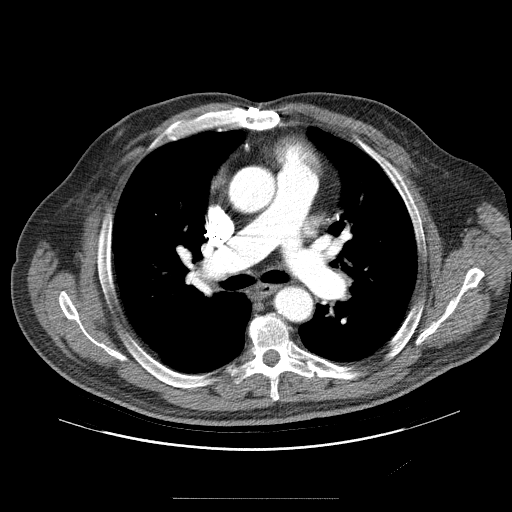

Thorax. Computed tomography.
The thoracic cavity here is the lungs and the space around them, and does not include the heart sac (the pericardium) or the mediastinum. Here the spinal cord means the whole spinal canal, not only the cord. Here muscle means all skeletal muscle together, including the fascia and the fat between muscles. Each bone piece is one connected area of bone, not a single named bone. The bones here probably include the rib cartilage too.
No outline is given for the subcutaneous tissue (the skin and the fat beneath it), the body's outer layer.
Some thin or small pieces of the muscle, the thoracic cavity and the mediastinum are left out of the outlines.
{"thoracic_cavity":[[[233,129],[243,131],[245,139],[218,166],[210,180],[201,264],[220,290],[243,293],[250,302],[246,326],[250,342],[240,355],[222,367],[203,373],[184,373],[153,357],[143,347],[124,313],[113,274],[114,215],[128,179],[147,154],[202,131]],[[312,126],[352,142],[380,166],[403,201],[416,244],[415,287],[403,321],[384,346],[366,358],[346,364],[304,349],[292,338],[297,338],[299,327],[313,318],[316,305],[322,299],[334,257],[332,218],[342,212],[338,169],[308,137],[308,128]]],"spinal_cord":[[[268,350],[274,350],[275,351],[276,351],[277,352],[277,353],[278,354],[278,355],[279,356],[279,358],[278,359],[278,360],[277,361],[277,362],[276,363],[275,363],[273,365],[268,365],[267,364],[266,364],[263,361],[263,356],[264,355],[264,354]]],"torso":[[[202,91],[253,101],[306,91],[371,98],[413,120],[449,153],[487,171],[502,188],[511,230],[511,277],[496,341],[473,359],[385,403],[269,425],[197,425],[151,417],[86,391],[50,367],[23,335],[11,303],[10,272],[26,221],[109,126],[140,107]]],"bones":[{"outer":[[269,312],[275,313],[291,328],[290,336],[300,348],[340,365],[353,365],[365,374],[356,379],[315,374],[309,378],[284,371],[278,377],[279,398],[276,401],[270,397],[269,378],[261,373],[235,383],[223,368],[250,344],[247,335],[249,321],[255,314]],"hole":[[268,350],[274,350],[275,351],[276,351],[277,352],[277,353],[278,354],[278,355],[279,356],[279,358],[278,359],[278,360],[277,361],[277,362],[276,363],[275,363],[273,365],[268,365],[267,364],[266,364],[263,361],[263,356],[264,355],[264,354]]},[[235,106],[243,108],[252,106],[260,110],[272,109],[279,114],[280,121],[287,124],[266,130],[252,130],[245,127],[228,128],[226,126],[213,126],[211,129],[202,130],[167,142],[145,154],[150,143],[173,122],[180,119],[192,118],[208,111],[224,110]],[[120,332],[123,334],[124,333],[128,333],[137,343],[153,358],[174,371],[184,374],[203,374],[220,368],[220,370],[216,375],[218,377],[218,380],[208,385],[192,387],[191,388],[175,387],[172,385],[167,384],[159,380],[148,372],[129,353],[119,335]],[[353,134],[357,135],[364,142],[387,159],[396,168],[401,175],[413,198],[421,219],[422,228],[425,238],[425,247],[426,248],[426,256],[424,260],[423,256],[418,253],[413,224],[403,199],[381,166],[353,141],[352,139],[352,135]],[[108,209],[111,209],[111,212],[113,215],[112,230],[111,231],[111,262],[112,263],[112,274],[117,298],[117,301],[116,301],[115,297],[112,294],[110,295],[111,308],[109,307],[105,299],[99,280],[97,268],[97,248],[99,233],[102,224],[102,220]],[[421,299],[423,299],[424,300],[422,313],[417,324],[417,326],[415,328],[411,337],[403,347],[403,348],[396,355],[395,355],[391,359],[387,360],[385,358],[385,354],[389,349],[389,347],[387,344],[388,342],[401,326],[412,305],[418,300],[420,300]],[[472,267],[477,267],[482,270],[484,273],[483,277],[475,287],[467,289],[462,294],[454,310],[440,323],[436,330],[428,335],[418,345],[416,345],[415,340],[419,334],[428,327],[432,322],[437,320],[442,315],[450,300],[458,294],[464,281],[466,272]],[[63,290],[66,292],[73,305],[77,310],[79,319],[85,330],[98,342],[103,343],[112,349],[116,350],[126,356],[127,360],[120,360],[110,355],[100,346],[98,346],[92,342],[83,333],[78,323],[75,320],[69,319],[66,317],[59,304],[59,294]]],"pericardium":[[[288,134],[303,136],[309,141],[335,175],[337,189],[333,195],[328,196],[334,241],[329,271],[310,282],[271,285],[249,273],[237,270],[237,267],[212,237],[209,206],[210,187],[214,176],[232,156],[241,155],[258,146],[260,144],[258,143],[270,138]]],"mediastinum":[[[209,195],[211,237],[237,271],[271,286],[280,286],[310,283],[331,270],[312,318],[298,327],[297,337],[292,337],[292,328],[273,311],[255,313],[251,318],[252,304],[247,296],[243,292],[220,289],[208,275],[202,264],[201,248],[206,241],[204,224]],[[304,123],[312,123],[321,126],[345,138],[336,136],[316,125],[309,126],[306,131],[307,137],[335,166],[340,178],[341,189],[338,206],[341,212],[334,215],[331,218],[333,219],[331,219],[329,196],[333,196],[336,193],[338,189],[338,180],[322,154],[303,135],[295,133],[281,134],[258,142],[258,145],[247,151],[232,155],[217,171],[226,158],[245,141],[246,133],[239,128],[252,131],[266,131],[276,127]]],"muscle":[{"outer":[[285,102],[309,103],[361,120],[401,145],[418,170],[411,178],[445,254],[461,245],[483,201],[503,214],[511,230],[511,277],[486,319],[465,338],[439,348],[417,378],[393,390],[356,398],[277,401],[284,372],[356,380],[366,372],[347,364],[386,345],[384,358],[396,356],[423,313],[425,300],[412,304],[412,298],[418,254],[424,261],[427,256],[419,209],[397,168],[355,133],[351,141],[312,122],[282,122],[268,108]],"hole":[[472,267],[477,267],[482,270],[484,273],[483,277],[475,287],[467,289],[462,294],[454,310],[440,323],[436,330],[428,335],[418,345],[416,345],[415,340],[419,334],[428,327],[432,322],[437,320],[442,315],[450,300],[458,294],[464,281],[466,272]]},{"outer":[[229,101],[242,106],[208,110],[177,119],[149,143],[145,155],[123,187],[114,214],[111,208],[104,213],[96,248],[97,276],[104,299],[111,309],[111,295],[116,302],[118,298],[127,322],[142,346],[128,332],[120,331],[118,335],[128,353],[148,373],[167,385],[182,389],[213,384],[219,380],[217,375],[221,368],[235,384],[254,374],[268,378],[269,397],[276,402],[271,406],[250,410],[201,411],[169,403],[154,391],[117,377],[112,379],[68,357],[55,345],[33,312],[27,272],[37,244],[42,239],[49,242],[53,249],[58,249],[58,270],[78,272],[74,262],[75,253],[81,246],[87,208],[96,193],[102,188],[112,187],[113,167],[130,148],[134,138],[189,108]],"hole":[[63,290],[66,292],[73,305],[77,310],[79,319],[85,330],[98,342],[103,343],[112,349],[116,350],[126,356],[127,360],[120,360],[110,355],[100,346],[98,346],[92,342],[83,333],[78,323],[75,320],[69,319],[66,317],[59,304],[59,294]]}]}